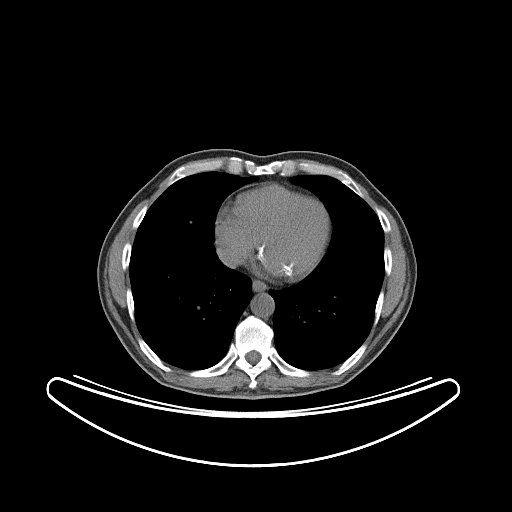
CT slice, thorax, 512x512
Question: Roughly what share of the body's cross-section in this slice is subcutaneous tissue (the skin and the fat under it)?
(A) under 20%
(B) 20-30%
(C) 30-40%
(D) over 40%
Answer: (A) under 20%
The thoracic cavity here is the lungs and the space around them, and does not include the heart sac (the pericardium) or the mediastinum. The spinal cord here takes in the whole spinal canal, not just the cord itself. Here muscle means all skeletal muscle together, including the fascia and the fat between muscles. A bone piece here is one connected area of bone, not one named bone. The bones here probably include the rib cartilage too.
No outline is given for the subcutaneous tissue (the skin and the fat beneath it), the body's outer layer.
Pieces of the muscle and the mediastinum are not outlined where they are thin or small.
{"muscle":[[[168,176],[165,189],[149,206],[144,204],[136,213],[131,225],[135,230],[133,241],[126,241],[121,252],[121,268],[124,271],[128,269],[130,283],[125,290],[127,312],[141,336],[136,338],[137,343],[148,359],[167,373],[172,371],[168,364],[189,370],[187,374],[190,377],[207,378],[225,374],[233,365],[247,374],[248,387],[251,389],[216,391],[167,381],[145,362],[108,307],[104,269],[109,248],[133,209],[147,199]],[[357,183],[391,214],[398,226],[409,264],[409,286],[403,308],[362,361],[339,381],[294,387],[290,390],[254,389],[257,386],[256,377],[273,365],[283,375],[300,378],[309,377],[313,370],[337,366],[331,374],[338,376],[354,365],[365,352],[368,346],[365,340],[372,326],[378,323],[382,311],[384,276],[389,276],[392,270],[392,251],[385,245],[385,234],[392,228],[387,215],[379,207],[375,206],[373,209],[367,203]]],"bones":[{"outer":[[250,315],[259,318],[272,329],[272,341],[278,354],[290,365],[310,371],[309,376],[286,375],[273,364],[255,377],[256,386],[252,389],[249,387],[248,374],[233,364],[219,375],[195,377],[188,374],[192,370],[205,369],[220,361],[229,349],[237,324]],"hole":[[253,350],[254,350],[255,351],[256,351],[257,352],[258,352],[260,355],[260,358],[259,359],[259,360],[257,362],[256,362],[253,364],[252,363],[250,363],[246,359],[246,357],[245,356],[246,355],[246,354],[248,352],[249,352],[250,351],[252,351]]},[[231,156],[250,160],[259,165],[276,160],[291,159],[297,162],[317,163],[340,169],[355,181],[363,198],[335,177],[298,170],[291,175],[278,173],[253,175],[246,172],[234,174],[221,168],[187,175],[167,187],[169,176],[182,165],[216,159],[226,160]],[[364,342],[365,342],[367,344],[367,346],[364,352],[358,359],[358,360],[349,368],[348,368],[345,371],[342,372],[340,374],[338,375],[334,375],[332,374],[332,372],[334,370],[335,370],[338,367],[339,365],[340,365],[345,360],[346,360]],[[139,337],[141,337],[143,339],[143,340],[158,356],[158,357],[167,366],[168,366],[171,369],[171,371],[169,372],[167,372],[163,370],[153,362],[152,362],[149,359],[149,358],[142,351],[142,350],[140,348],[140,346],[137,340],[137,338]],[[126,242],[129,242],[131,244],[131,252],[130,253],[130,258],[129,259],[129,265],[128,266],[128,268],[127,269],[126,269],[125,270],[124,270],[122,268],[122,252],[123,251],[123,247],[124,246],[124,245],[125,244],[125,243]],[[375,207],[377,207],[379,208],[386,215],[389,221],[389,224],[391,228],[389,232],[387,232],[386,233],[384,232],[383,230],[383,228],[381,225],[380,220],[376,212],[374,210],[374,208]],[[128,288],[130,288],[131,290],[131,293],[132,294],[132,297],[133,298],[133,306],[134,307],[133,313],[134,314],[134,320],[135,321],[134,322],[133,322],[131,320],[129,316],[129,313],[128,312],[128,308],[127,307],[127,301],[126,300],[126,290]],[[381,289],[383,290],[384,292],[384,294],[383,295],[383,302],[382,303],[382,307],[381,308],[381,311],[379,315],[378,321],[377,323],[374,326],[373,326],[374,318],[375,317],[375,307],[376,306],[376,302],[377,301],[377,299]],[[385,246],[387,246],[388,247],[389,247],[389,248],[390,249],[390,250],[391,251],[391,270],[390,271],[390,273],[389,274],[389,275],[387,275],[386,274],[385,274],[385,266],[384,265],[384,247]],[[144,205],[147,205],[148,206],[148,208],[147,209],[147,210],[146,211],[146,212],[145,213],[142,220],[140,222],[140,223],[139,224],[138,227],[136,229],[136,230],[135,229],[134,229],[132,227],[132,225],[133,224],[133,221],[134,220],[137,213]]],"mediastinum":[[[237,268],[241,269],[247,274],[255,278],[263,280],[272,286],[276,287],[291,286],[281,289],[273,289],[272,288],[268,291],[274,301],[272,327],[259,317],[252,314],[246,316],[239,321],[242,313],[252,297],[252,281],[248,275],[241,271],[234,269]],[[275,174],[278,174],[280,176],[294,175],[290,179],[291,182],[293,184],[295,185],[298,186],[301,186],[306,189],[304,189],[285,181],[266,179],[248,184],[238,189],[237,191],[228,197],[220,207],[222,202],[232,192],[245,184],[256,181],[257,180],[256,176],[259,175],[274,175]]],"thoracic_cavity":[[[207,171],[256,177],[256,180],[232,191],[221,202],[214,220],[213,242],[216,254],[225,266],[249,277],[251,297],[238,319],[233,338],[224,356],[211,366],[190,370],[164,362],[142,337],[135,320],[129,266],[136,231],[149,207],[175,182]],[[300,174],[325,175],[337,179],[375,212],[384,233],[384,275],[367,336],[340,364],[312,370],[290,364],[277,351],[272,328],[275,301],[269,292],[272,289],[289,288],[309,276],[324,258],[331,241],[333,224],[323,202],[311,191],[291,180]]],"pericardium":[[[266,180],[285,182],[311,192],[322,202],[331,221],[331,235],[329,243],[321,261],[309,275],[301,281],[291,285],[272,285],[261,278],[255,277],[247,273],[239,267],[230,267],[220,259],[216,249],[215,220],[222,205],[228,198],[238,190],[248,185]]],"spinal_cord":[[[253,350],[254,350],[255,351],[256,351],[257,352],[258,352],[260,355],[260,358],[259,359],[259,360],[257,362],[256,362],[253,364],[252,363],[250,363],[246,359],[246,357],[245,356],[246,355],[246,354],[248,352],[249,352],[250,351],[252,351]]],"torso":[[[211,148],[257,155],[309,150],[339,157],[359,169],[400,214],[417,263],[413,300],[385,348],[344,385],[306,395],[263,399],[211,397],[170,388],[157,382],[134,361],[106,318],[99,299],[96,271],[100,249],[112,223],[132,196],[166,164],[182,155]]]}